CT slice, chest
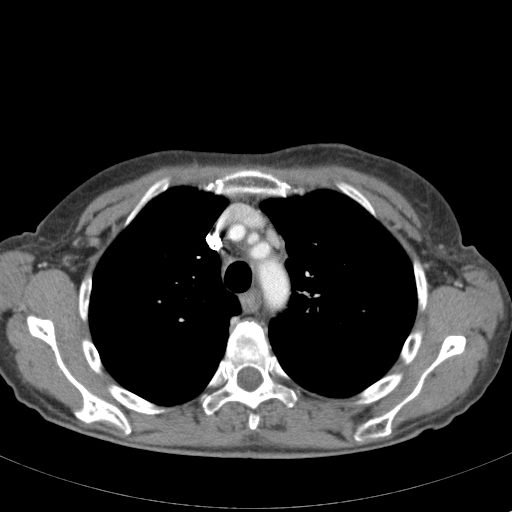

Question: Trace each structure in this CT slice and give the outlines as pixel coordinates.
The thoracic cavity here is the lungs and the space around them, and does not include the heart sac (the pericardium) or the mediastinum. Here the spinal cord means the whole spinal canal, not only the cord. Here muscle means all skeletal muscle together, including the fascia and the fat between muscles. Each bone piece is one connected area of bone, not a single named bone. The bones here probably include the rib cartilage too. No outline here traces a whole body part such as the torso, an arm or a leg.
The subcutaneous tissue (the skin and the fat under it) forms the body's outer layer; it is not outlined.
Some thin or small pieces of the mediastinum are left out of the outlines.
Answer: muscle: (194, 159) (287, 166) (337, 163) (371, 174) (400, 192) (422, 224) (420, 247) (426, 251) (423, 259) (431, 263) (429, 282) (434, 287) (453, 285) (463, 265) (475, 264) (493, 274) (503, 298) (505, 318) (499, 322) (467, 394) (448, 410) (393, 437) (340, 448) (146, 444) (81, 426) (46, 407) (36, 395) (41, 394) (18, 375) (0, 322) (0, 252) (19, 247) (35, 255) (38, 269) (71, 270) (84, 260) (84, 246) (74, 231) (94, 198) (160, 165), around holes outlined by (241, 168) (309, 192) (345, 181) (367, 198) (410, 260) (418, 256) (427, 301) (411, 330) (422, 330) (422, 339) (408, 364) (397, 359) (387, 372) (400, 370) (402, 378) (386, 395) (354, 404) (352, 395) (304, 388) (292, 407) (277, 398) (261, 402) (251, 429) (250, 409) (238, 401) (208, 415) (196, 396) (162, 413) (127, 408) (107, 390) (116, 380) (89, 365) (81, 341) (92, 336) (79, 313) (80, 282) (144, 193) (168, 172) (171, 187) (197, 188) and by (31, 314) (52, 321) (56, 345) (60, 357) (69, 372) (90, 392) (118, 407) (131, 426) (130, 433) (125, 434) (121, 429) (110, 422) (94, 421) (87, 423) (73, 414) (74, 410) (80, 409) (83, 405) (82, 395) (58, 366) (52, 348) (45, 341) (30, 333) (26, 318) and by (448, 335) (463, 335) (465, 337) (466, 342) (463, 351) (442, 361) (426, 376) (419, 393) (405, 403) (393, 417) (391, 422) (392, 430) (388, 435) (376, 438) (368, 438) (363, 441) (355, 440) (353, 435) (360, 424) (391, 410) (413, 390) (422, 373) (437, 357) (441, 345)
spinal cord: (246, 367) (251, 367) (252, 368) (254, 368) (255, 369) (256, 369) (260, 373) (260, 374) (261, 375) (261, 382) (258, 385) (258, 386) (255, 389) (254, 389) (253, 390) (246, 390) (242, 387) (241, 387) (238, 384) (238, 381) (237, 380) (238, 373) (243, 368) (245, 368)
thoracic cavity 1: (173, 186) (190, 186) (227, 199) (227, 204) (204, 239) (207, 246) (218, 255) (220, 279) (225, 289) (237, 298) (240, 312) (230, 319) (224, 354) (204, 389) (197, 396) (182, 403) (162, 405) (123, 387) (105, 368) (92, 340) (89, 306) (93, 272) (106, 249) (152, 199)
thoracic cavity 2: (322, 188) (336, 190) (353, 200) (401, 244) (411, 261) (416, 292) (415, 319) (397, 359) (387, 373) (348, 397) (329, 397) (296, 383) (272, 352) (268, 337) (270, 321) (288, 307) (292, 286) (285, 265) (288, 258) (285, 240) (262, 210) (261, 204) (266, 199) (303, 196)
mediastinum: (242, 194) (253, 194) (263, 199) (260, 208) (282, 236) (287, 253) (284, 265) (291, 293) (285, 310) (269, 321) (267, 337) (260, 324) (253, 319) (231, 321) (241, 312) (241, 306) (238, 298) (226, 289) (221, 279) (219, 255) (205, 239) (228, 204) (228, 199)
bones 1: (245, 319) (259, 324) (268, 340) (271, 352) (282, 369) (303, 389) (292, 407) (287, 407) (277, 398) (261, 402) (255, 410) (259, 415) (255, 429) (251, 429) (248, 425) (250, 409) (245, 404) (227, 401) (208, 415) (197, 398) (205, 389) (225, 354) (231, 322) (235, 324) with a hole at (246, 367) (251, 367) (252, 368) (254, 368) (255, 369) (256, 369) (260, 373) (260, 374) (261, 375) (261, 382) (258, 385) (258, 386) (255, 389) (254, 389) (253, 390) (246, 390) (242, 387) (241, 387) (238, 384) (238, 381) (237, 380) (238, 373) (243, 368) (245, 368)
bones 2: (31, 314) (52, 321) (56, 345) (60, 357) (69, 372) (90, 392) (118, 407) (131, 426) (130, 433) (125, 434) (121, 429) (110, 422) (94, 421) (87, 423) (73, 414) (74, 410) (80, 409) (83, 405) (82, 395) (58, 366) (52, 348) (45, 341) (30, 333) (26, 318)
bones 3: (241, 168) (259, 168) (293, 187) (301, 186) (308, 191) (303, 195) (295, 194) (285, 198) (271, 197) (264, 199) (253, 193) (242, 193) (234, 197) (227, 198) (222, 195) (216, 195) (211, 192) (200, 190) (198, 188) (199, 186) (213, 182)
bones 4: (448, 335) (463, 335) (465, 337) (466, 342) (463, 351) (442, 361) (426, 376) (419, 393) (405, 403) (393, 417) (391, 422) (392, 430) (388, 435) (376, 438) (368, 438) (363, 441) (355, 440) (353, 435) (360, 424) (391, 410) (413, 390) (422, 373) (437, 357) (441, 345)
bones 5: (109, 382) (112, 382) (118, 384) (123, 388) (132, 392) (134, 394) (158, 405) (161, 405) (162, 406) (174, 406) (175, 408) (166, 412) (163, 412) (162, 413) (155, 413) (154, 414) (142, 413) (127, 408) (115, 400) (110, 395) (106, 387) (107, 384)
bones 6: (397, 370) (400, 370) (402, 372) (402, 378) (400, 382) (389, 393) (381, 397) (379, 399) (373, 402) (371, 402) (368, 404) (354, 404) (353, 403) (353, 400) (354, 399) (352, 398) (353, 396) (354, 396) (368, 386) (376, 382) (386, 374) (389, 374) (390, 373) (392, 373)
bones 7: (168, 172) (170, 172) (171, 174) (170, 186) (166, 190) (161, 192) (159, 194) (152, 198) (140, 210) (140, 211) (128, 224) (128, 225) (126, 227) (122, 229) (122, 226) (127, 216) (132, 211) (132, 210) (135, 207) (141, 197) (148, 189) (148, 188) (155, 181) (162, 177)
bones 8: (413, 253) (415, 253) (418, 256) (421, 262) (421, 264) (425, 271) (425, 274) (426, 275) (426, 278) (427, 279) (427, 301) (426, 302) (426, 305) (425, 306) (424, 310) (418, 314) (417, 314) (417, 292) (416, 291) (415, 277) (414, 276) (413, 265) (412, 264)
bones 9: (90, 266) (91, 266) (91, 273) (92, 274) (92, 276) (91, 277) (91, 292) (90, 293) (90, 296) (89, 297) (89, 305) (88, 306) (88, 322) (87, 323) (85, 323) (80, 316) (80, 314) (79, 313) (79, 309) (78, 308) (79, 286) (80, 285) (80, 282) (82, 278)
bones 10: (336, 180) (342, 180) (343, 181) (345, 181) (353, 185) (357, 189) (358, 189) (367, 198) (367, 199) (373, 206) (378, 216) (378, 219) (376, 219) (367, 210) (366, 210) (361, 205) (360, 205) (353, 199) (344, 194) (342, 192) (337, 190) (336, 189) (335, 183) (334, 182)
bones 11: (416, 328) (418, 328) (422, 330) (423, 332) (422, 333) (421, 343) (419, 348) (417, 350) (417, 352) (414, 358) (408, 364) (404, 364) (401, 360) (398, 360) (398, 357) (399, 356) (400, 351) (404, 344) (404, 342) (406, 340) (407, 337) (411, 331) (414, 330)
bones 12: (85, 337) (87, 337) (89, 338) (92, 341) (94, 346) (96, 348) (99, 354) (99, 357) (104, 367) (103, 368) (103, 373) (102, 375) (97, 374) (91, 368) (91, 367) (89, 365) (84, 355) (84, 353) (82, 350) (81, 341) (82, 339)